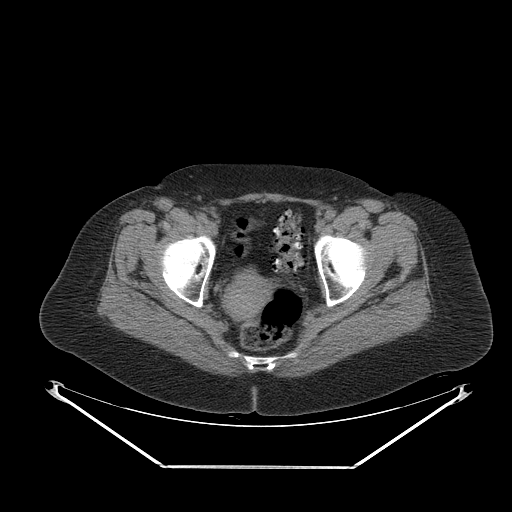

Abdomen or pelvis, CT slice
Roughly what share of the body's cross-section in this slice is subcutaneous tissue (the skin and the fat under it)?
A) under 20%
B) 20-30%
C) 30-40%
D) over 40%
Answer: D) over 40%
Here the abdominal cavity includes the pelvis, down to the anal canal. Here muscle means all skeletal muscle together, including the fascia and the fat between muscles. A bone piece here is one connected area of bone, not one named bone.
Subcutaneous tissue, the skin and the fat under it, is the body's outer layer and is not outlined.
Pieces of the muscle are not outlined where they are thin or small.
The abdominal cavity is outlined by [[250,201],[301,202],[315,207],[313,254],[317,268],[316,281],[320,290],[321,302],[304,314],[295,348],[277,355],[251,355],[238,351],[228,340],[226,325],[209,301],[210,274],[217,249],[214,238],[220,228],[220,217],[217,209],[220,206]]. The muscle is outlined by [[263,191],[335,204],[358,197],[373,198],[399,206],[417,224],[423,248],[435,310],[427,325],[302,377],[278,377],[263,371],[231,377],[204,371],[106,324],[97,314],[98,294],[108,267],[119,217],[129,207],[159,196],[202,204],[216,198],[232,198]], around a hole outlined by [[250,201],[301,202],[313,206],[316,240],[322,235],[344,237],[367,252],[362,282],[339,303],[327,306],[324,285],[317,275],[321,302],[304,314],[297,344],[290,350],[297,356],[278,359],[271,370],[263,369],[264,365],[250,370],[243,358],[228,356],[227,352],[236,348],[227,338],[224,321],[209,301],[209,276],[203,304],[197,307],[168,287],[160,264],[161,250],[170,242],[201,235],[213,240],[220,228],[218,207]]. The torso is outlined by [[216,162],[326,167],[383,192],[406,189],[445,204],[467,231],[490,303],[493,341],[488,352],[470,366],[436,373],[363,403],[295,416],[264,416],[255,411],[207,413],[165,403],[55,347],[41,332],[39,308],[84,221],[110,200],[154,185],[177,169]]. The bones appear in 3 outlined pieces: piece 1: [[201,235],[205,235],[210,237],[215,243],[216,249],[211,271],[204,286],[203,304],[201,307],[197,307],[179,297],[168,287],[162,276],[162,267],[160,264],[160,255],[161,250],[163,247],[170,242],[186,238],[189,236],[196,237]]; piece 2: [[322,235],[331,235],[335,237],[344,237],[347,238],[363,246],[367,252],[365,259],[366,260],[365,262],[366,271],[364,278],[359,287],[347,299],[330,307],[327,306],[325,301],[325,289],[323,282],[318,273],[318,268],[314,254],[314,243],[316,240]]; piece 3: [[231,350],[236,350],[244,355],[251,356],[280,356],[291,351],[294,351],[297,353],[297,356],[293,358],[278,359],[276,365],[271,370],[263,369],[265,366],[264,365],[255,365],[254,369],[250,370],[245,365],[245,361],[243,358],[228,356],[227,352]].